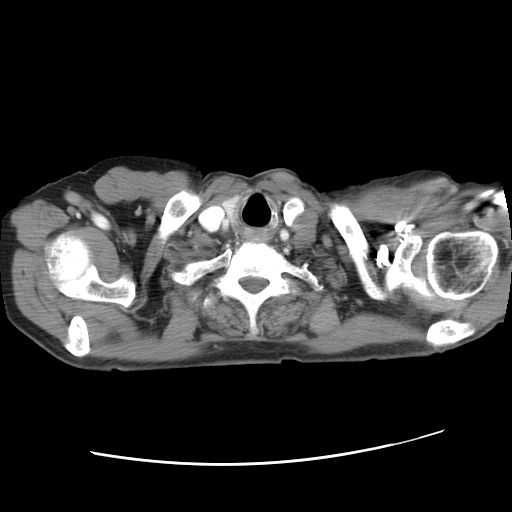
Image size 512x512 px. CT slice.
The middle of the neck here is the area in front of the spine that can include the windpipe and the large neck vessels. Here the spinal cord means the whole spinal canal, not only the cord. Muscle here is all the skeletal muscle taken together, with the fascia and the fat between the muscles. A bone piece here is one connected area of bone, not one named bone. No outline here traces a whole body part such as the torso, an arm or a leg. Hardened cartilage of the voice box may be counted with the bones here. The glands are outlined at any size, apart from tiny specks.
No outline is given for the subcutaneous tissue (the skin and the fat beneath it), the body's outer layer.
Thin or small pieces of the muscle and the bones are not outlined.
{"bones":[[[466,230],[487,232],[493,236],[498,246],[498,256],[492,274],[480,291],[463,299],[436,295],[429,299],[402,287],[387,291],[384,276],[402,239],[412,234],[421,237],[422,244],[411,261],[411,270],[415,276],[425,277],[425,256],[430,240],[440,232]],{"outer":[[251,240],[273,247],[297,266],[306,262],[323,285],[322,290],[316,291],[306,281],[292,276],[295,293],[271,296],[261,304],[255,335],[250,334],[244,306],[237,299],[219,296],[213,285],[224,271],[222,268],[190,285],[170,276],[189,262],[213,258]],"hole":[[248,276],[250,276],[251,277],[257,277],[258,278],[263,278],[264,279],[267,280],[268,281],[268,283],[261,290],[260,290],[255,293],[252,293],[251,292],[246,290],[240,284],[240,283],[239,282],[240,279],[241,279],[244,277],[247,277]]},[[62,233],[77,236],[85,242],[91,252],[90,261],[96,267],[98,275],[103,281],[108,283],[112,282],[122,274],[126,274],[131,278],[135,283],[135,297],[128,307],[113,302],[75,299],[65,295],[56,287],[48,273],[46,264],[46,247]],[[333,202],[345,204],[349,208],[359,224],[368,245],[367,248],[367,258],[365,260],[366,268],[372,280],[386,292],[387,296],[384,300],[373,299],[364,290],[359,278],[355,264],[349,254],[348,246],[344,238],[333,224],[330,217],[327,213],[330,204]],[[181,190],[187,190],[198,194],[201,197],[202,202],[200,206],[193,213],[192,213],[184,221],[184,222],[167,238],[164,242],[163,242],[159,237],[159,233],[158,232],[158,228],[160,225],[161,217],[163,214],[165,206],[168,200],[174,194],[179,192]],[[443,319],[452,319],[459,322],[467,322],[470,324],[475,331],[471,335],[467,336],[453,343],[450,343],[449,344],[442,345],[441,346],[433,346],[430,343],[426,341],[426,334],[427,333],[427,330],[429,326],[432,323],[436,322],[439,320],[442,320]],[[78,314],[82,316],[86,322],[87,329],[88,330],[88,335],[89,336],[89,344],[90,345],[90,350],[89,352],[86,355],[82,357],[78,357],[73,355],[64,347],[64,344],[67,341],[67,337],[68,336],[68,327],[70,324],[71,319],[75,315]]],"spinal_cord":[[[248,276],[250,276],[251,277],[257,277],[258,278],[263,278],[264,279],[267,280],[268,281],[268,283],[261,290],[260,290],[255,293],[252,293],[251,292],[246,290],[240,284],[240,283],[239,282],[240,279],[241,279],[244,277],[247,277]]],"thyroid_glands":[[[248,190],[252,190],[250,191],[248,191],[244,193],[238,198],[238,200],[233,210],[233,218],[232,219],[232,221],[231,221],[226,215],[226,212],[222,205],[222,202],[226,198],[228,198],[231,196],[233,196],[235,194],[241,194],[242,193],[244,193]]],"middle_of_the_neck":[{"outer":[[251,191],[298,196],[305,201],[306,208],[304,212],[294,225],[289,236],[280,246],[271,246],[264,241],[251,239],[244,241],[243,244],[236,244],[205,232],[199,226],[198,216],[200,212],[218,203],[221,203],[225,215],[232,222],[234,210],[239,198]],"hole":[[267,199],[269,199],[270,200],[271,203],[276,208],[276,210],[277,211],[277,222],[276,223],[275,223],[274,224],[274,225],[271,225],[270,224],[270,220],[272,218],[272,209],[271,208],[271,207],[270,206],[270,205],[269,204],[269,203],[268,202]]}],"muscle":[{"outer":[[117,165],[143,171],[185,170],[196,191],[215,176],[229,174],[253,184],[272,170],[285,171],[304,188],[326,193],[375,184],[407,185],[438,175],[460,190],[496,187],[506,195],[511,229],[505,316],[476,331],[467,321],[434,321],[425,341],[446,346],[439,348],[397,342],[322,354],[289,343],[247,340],[216,343],[179,360],[78,358],[91,350],[82,315],[70,319],[62,345],[16,305],[10,216],[35,199],[93,183]],"holes":[[[248,190],[305,201],[289,236],[273,247],[297,266],[306,262],[323,285],[316,291],[292,276],[295,293],[271,296],[261,304],[255,335],[250,334],[244,306],[219,296],[213,285],[222,268],[190,285],[170,276],[189,262],[240,245],[205,232],[198,216]],[[466,230],[487,232],[493,236],[498,246],[498,256],[492,274],[480,291],[463,299],[436,295],[429,299],[402,287],[387,291],[384,276],[402,239],[412,234],[421,237],[422,244],[411,261],[411,270],[415,276],[425,277],[425,256],[430,240],[440,232]],[[62,233],[77,236],[85,242],[91,252],[90,261],[96,267],[98,275],[103,281],[108,283],[112,282],[122,274],[126,274],[131,278],[135,283],[135,297],[128,307],[113,302],[75,299],[65,295],[56,287],[48,273],[46,264],[46,247]],[[333,202],[345,204],[349,208],[359,224],[368,245],[367,248],[367,258],[365,260],[366,268],[372,280],[386,292],[387,296],[384,300],[373,299],[364,290],[359,278],[355,264],[349,254],[348,246],[344,238],[333,224],[330,217],[327,213],[330,204]],[[181,190],[187,190],[198,194],[201,197],[202,202],[200,206],[193,213],[192,213],[184,221],[184,222],[167,238],[164,242],[163,242],[159,237],[159,233],[158,232],[158,228],[160,225],[161,217],[163,214],[165,206],[168,200],[174,194],[179,192]],[[206,295],[211,295],[212,296],[213,296],[214,297],[214,299],[213,300],[213,301],[212,302],[212,303],[210,305],[209,305],[207,307],[204,307],[203,306],[203,298]]]}]}